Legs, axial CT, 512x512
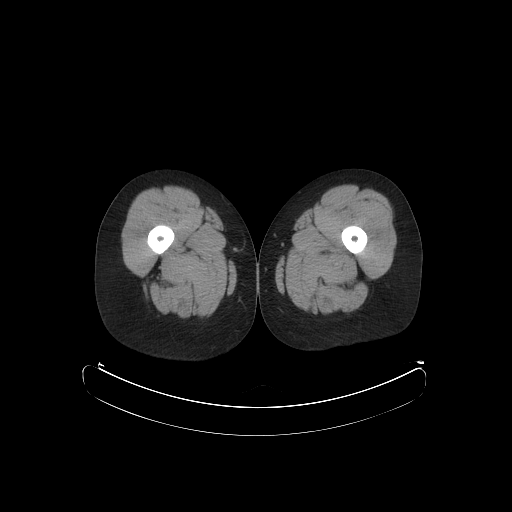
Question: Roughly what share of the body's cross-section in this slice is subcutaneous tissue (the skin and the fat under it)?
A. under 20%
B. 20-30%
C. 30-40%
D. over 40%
Answer: D. over 40%
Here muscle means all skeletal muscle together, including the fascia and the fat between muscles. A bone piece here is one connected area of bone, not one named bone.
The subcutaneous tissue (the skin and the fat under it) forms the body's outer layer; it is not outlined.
{"right_leg":[[[158,168],[183,169],[203,177],[217,187],[237,209],[253,241],[258,261],[259,286],[258,304],[253,324],[237,346],[210,361],[201,363],[166,361],[130,350],[118,343],[108,333],[97,309],[94,294],[94,257],[101,220],[111,201],[124,184],[138,174]]],"muscle":[{"outer":[[348,183],[372,188],[382,193],[388,199],[393,209],[397,236],[394,258],[389,270],[375,283],[365,302],[358,310],[350,316],[338,320],[328,319],[324,321],[316,321],[304,317],[280,294],[275,283],[275,268],[290,239],[296,219],[323,192],[331,187]],"hole":[[348,225],[357,225],[361,227],[365,231],[367,235],[367,242],[366,243],[366,245],[363,249],[363,250],[360,253],[358,254],[354,254],[350,252],[345,247],[345,246],[343,244],[341,240],[341,232],[342,230],[346,226]]},{"outer":[[164,184],[179,185],[191,189],[208,206],[215,210],[223,223],[230,255],[236,268],[237,281],[233,293],[223,300],[210,318],[195,325],[188,325],[174,320],[160,320],[156,317],[146,306],[135,278],[125,266],[122,259],[121,230],[130,204],[142,190]],"hole":[[158,224],[164,224],[165,225],[167,225],[169,226],[173,230],[174,232],[174,239],[172,243],[169,246],[169,247],[161,254],[157,254],[155,253],[148,246],[147,244],[147,235],[148,234],[148,232],[150,230],[150,229],[151,229],[154,226]]}],"bones":[[[158,224],[164,224],[165,225],[167,225],[169,226],[173,230],[174,232],[174,239],[172,243],[169,246],[169,247],[161,254],[157,254],[155,253],[148,246],[147,244],[147,235],[148,234],[148,232],[150,230],[150,229],[151,229],[154,226]],[[348,225],[357,225],[361,227],[365,231],[367,235],[367,242],[366,243],[366,245],[363,249],[363,250],[360,253],[358,254],[354,254],[350,252],[345,247],[345,246],[343,244],[341,240],[341,232],[342,230],[346,226]]],"left_leg":[[[348,167],[366,168],[381,173],[391,179],[405,195],[415,217],[422,242],[423,262],[419,303],[415,316],[409,326],[395,336],[321,352],[302,351],[280,342],[270,332],[263,320],[259,305],[258,256],[260,247],[273,218],[283,204],[297,190],[326,172]]]}